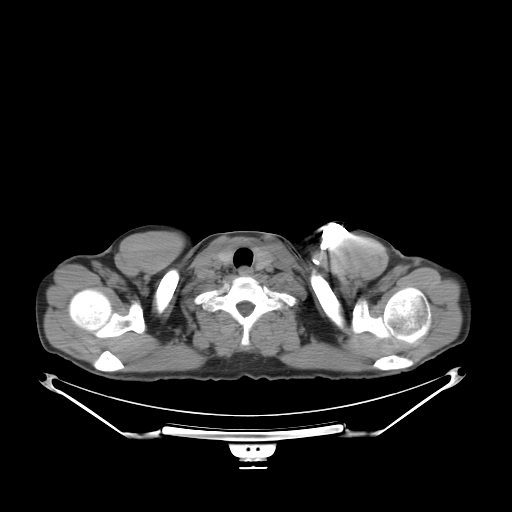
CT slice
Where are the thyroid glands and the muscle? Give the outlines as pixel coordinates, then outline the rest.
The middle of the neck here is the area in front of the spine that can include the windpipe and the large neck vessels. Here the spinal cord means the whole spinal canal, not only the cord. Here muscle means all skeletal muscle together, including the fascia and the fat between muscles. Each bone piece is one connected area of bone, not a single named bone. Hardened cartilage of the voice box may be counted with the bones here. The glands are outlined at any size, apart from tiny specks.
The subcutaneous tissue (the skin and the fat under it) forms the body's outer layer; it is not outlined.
{"thyroid_glands":[[[256,246],[257,246],[258,247],[259,247],[260,248],[261,248],[262,249],[267,251],[269,253],[269,254],[271,257],[271,261],[268,264],[268,265],[267,265],[262,269],[260,269],[259,270],[258,270],[255,267],[255,254],[254,253],[254,247],[255,247]],[[230,246],[233,246],[233,252],[232,253],[232,257],[231,258],[231,263],[228,266],[225,267],[221,263],[221,262],[218,259],[217,256],[218,255],[218,254],[221,251],[222,251],[224,249],[225,249],[226,248],[227,248]]],"muscle":[{"outer":[[150,230],[180,232],[187,241],[185,253],[222,235],[268,235],[306,255],[336,247],[351,235],[365,235],[385,246],[397,262],[430,266],[455,278],[461,286],[461,329],[455,339],[414,364],[391,353],[378,357],[372,367],[379,370],[370,371],[296,369],[274,357],[237,352],[210,359],[195,370],[123,372],[118,371],[125,365],[109,349],[91,365],[49,343],[43,328],[45,290],[62,265],[98,261],[111,266],[125,237]],"holes":[[[242,242],[267,251],[274,267],[271,273],[252,277],[261,285],[288,293],[297,300],[284,310],[264,313],[253,324],[247,346],[240,342],[242,326],[229,313],[220,309],[211,312],[193,301],[198,294],[217,289],[237,276],[219,271],[213,264],[221,251]],[[405,287],[417,288],[428,300],[431,312],[431,323],[425,335],[413,343],[408,343],[394,337],[379,338],[368,331],[360,333],[353,332],[351,328],[352,312],[354,305],[360,297],[366,300],[369,314],[372,317],[378,317],[383,314],[388,299],[395,292]],[[85,288],[95,288],[102,292],[108,298],[112,309],[120,315],[125,315],[129,310],[132,300],[138,299],[143,310],[145,322],[144,331],[142,333],[138,333],[129,330],[118,336],[102,338],[97,337],[91,332],[74,324],[68,313],[68,304],[76,292]],[[313,270],[314,270],[316,273],[320,274],[328,282],[332,291],[338,299],[341,306],[341,314],[344,318],[344,329],[341,329],[339,328],[327,316],[324,310],[322,308],[320,304],[320,302],[316,294],[314,292],[314,290],[312,288],[310,283],[310,275]],[[171,268],[175,268],[179,272],[179,279],[178,280],[177,285],[173,292],[172,297],[169,301],[167,306],[161,313],[158,313],[156,309],[156,305],[155,304],[155,301],[154,300],[155,292],[160,282],[160,280],[162,278],[164,274],[169,269]]]}],"spinal_cord":[[[244,301],[247,301],[248,302],[250,302],[252,304],[253,304],[254,305],[254,306],[253,307],[253,309],[252,310],[252,311],[249,314],[248,314],[247,315],[243,315],[238,310],[238,309],[237,308],[237,304],[238,304],[241,302],[243,302]]],"bones":[[[405,287],[417,288],[428,300],[431,312],[431,323],[425,335],[413,343],[408,343],[394,337],[379,338],[368,331],[360,333],[353,332],[351,328],[352,312],[354,305],[360,297],[366,300],[369,314],[372,317],[378,317],[383,314],[388,299],[395,292]],{"outer":[[237,276],[251,276],[261,285],[274,291],[288,293],[297,300],[294,305],[284,310],[271,310],[264,313],[253,324],[249,332],[250,343],[247,346],[240,342],[242,326],[229,313],[220,309],[211,312],[193,301],[198,294],[217,289],[224,282],[230,283]],"hole":[[244,301],[247,301],[248,302],[250,302],[252,304],[253,304],[254,305],[254,306],[253,307],[253,309],[252,310],[252,311],[249,314],[248,314],[247,315],[243,315],[238,310],[238,309],[237,308],[237,304],[238,304],[241,302],[243,302]]},[[85,288],[95,288],[102,292],[108,298],[112,309],[120,315],[125,315],[129,310],[132,300],[138,299],[143,310],[145,322],[144,331],[142,333],[138,333],[129,330],[118,336],[102,338],[97,337],[91,332],[74,324],[68,313],[68,304],[76,292]],[[313,270],[314,270],[316,273],[320,274],[328,282],[332,291],[338,299],[341,306],[341,314],[344,318],[344,329],[341,329],[339,328],[327,316],[324,310],[322,308],[320,304],[320,302],[316,294],[314,292],[314,290],[312,288],[310,283],[310,275]],[[171,268],[175,268],[179,272],[179,279],[178,280],[177,285],[173,292],[172,297],[169,301],[167,306],[161,313],[158,313],[156,309],[156,305],[155,304],[155,301],[154,300],[155,292],[160,282],[160,280],[162,278],[164,274],[169,269]],[[391,354],[398,355],[402,357],[406,357],[412,360],[413,361],[413,364],[408,367],[402,368],[401,369],[392,369],[391,370],[380,370],[379,369],[374,368],[373,367],[373,364],[374,362],[378,358],[382,356],[384,356],[385,355],[390,355]],[[105,350],[109,350],[112,353],[116,355],[122,362],[122,363],[124,365],[124,367],[122,369],[120,370],[118,370],[117,371],[102,371],[99,369],[97,369],[95,368],[92,365],[92,363],[94,361],[94,360],[95,360],[99,356],[99,355],[103,351]]],"right_arm":[[[96,253],[100,255],[106,261],[112,277],[115,292],[115,306],[113,314],[105,329],[91,343],[81,348],[65,353],[60,354],[49,353],[42,347],[39,341],[36,329],[35,310],[34,309],[37,286],[42,277],[53,269],[63,259],[75,254],[95,254]]],"middle_of_the_neck":[[[242,242],[255,245],[253,247],[254,267],[258,271],[262,270],[268,266],[271,262],[274,267],[273,272],[271,273],[258,273],[252,276],[251,275],[235,275],[232,273],[223,272],[216,269],[213,264],[217,258],[225,268],[228,267],[232,263],[234,245]]],"left_arm":[[[405,255],[423,256],[440,264],[457,269],[462,272],[468,280],[471,293],[471,300],[472,301],[472,316],[471,317],[470,330],[465,341],[445,351],[437,357],[427,361],[415,370],[404,360],[391,344],[385,331],[379,309],[379,296],[383,281],[392,268]]],"torso":[[[332,221],[372,232],[404,254],[382,281],[378,309],[390,344],[412,371],[360,380],[243,376],[138,382],[104,378],[57,355],[91,344],[109,324],[116,306],[115,285],[107,261],[98,252],[129,229],[173,225],[187,230],[196,242],[234,230],[298,239]]]}